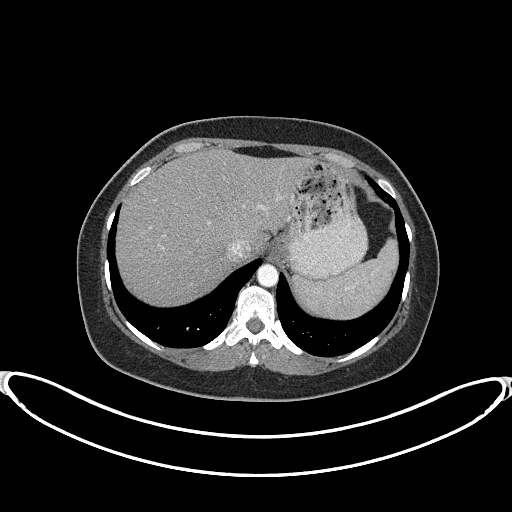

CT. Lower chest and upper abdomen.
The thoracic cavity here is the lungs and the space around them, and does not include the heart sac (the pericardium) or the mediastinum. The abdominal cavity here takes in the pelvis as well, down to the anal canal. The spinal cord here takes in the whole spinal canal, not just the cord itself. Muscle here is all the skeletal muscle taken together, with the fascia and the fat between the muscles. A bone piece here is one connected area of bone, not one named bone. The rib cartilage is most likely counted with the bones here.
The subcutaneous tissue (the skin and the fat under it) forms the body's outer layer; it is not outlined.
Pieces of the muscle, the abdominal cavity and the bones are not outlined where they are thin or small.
The bones appear in 9 outlined pieces: piece 1: 296,354 306,352 297,346 284,332 276,315 274,296 257,285 247,285 241,288 226,327 215,338 202,346 204,349 212,349 223,342 233,345 242,338 246,338 254,347 262,339 266,339 273,347 279,348 284,345, around a hole outlined by 253,333 256,333 257,332 258,332 263,327 263,324 261,322 261,321 258,318 252,318 251,319 250,319 246,323 246,325 247,326 247,327; piece 2: 338,362 341,362 342,361 344,361 345,360 350,359 366,351 378,340 379,338 379,334 375,336 368,342 362,345 357,349 348,353 343,357 339,359 337,359 337,361; piece 3: 159,350 162,349 162,347 161,346 160,346 157,343 154,342 148,337 147,337 144,334 140,332 126,319 125,319 124,321 125,324 140,339 141,339 144,342 150,345 152,347 156,349 158,349; piece 4: 177,152 182,152 183,151 190,151 191,150 193,150 194,149 197,149 200,147 202,147 203,146 204,146 206,144 207,144 205,144 202,142 187,142 186,143 180,143 179,144 176,145 174,147 174,150; piece 5: 348,167 353,167 355,164 355,163 351,159 349,158 347,158 346,157 344,157 341,155 339,155 338,154 334,154 333,153 326,153 325,154 325,155 327,157 329,157 331,159 333,159 341,163 343,165 345,165; piece 6: 129,185 133,185 134,184 137,183 140,180 141,180 146,175 147,175 149,173 149,172 153,168 153,167 152,167 151,166 146,166 145,167 140,169 135,174 135,175 133,177 133,178 130,181 130,182 129,183; piece 7: 395,199 395,198 396,197 395,196 395,193 394,192 394,190 393,189 391,184 387,180 386,180 383,178 378,178 377,179 376,179 375,180 375,181 379,185 379,186 387,193 388,193 393,198 394,198; piece 8: 400,303 405,299 405,297 407,294 407,290 409,286 409,279 410,278 410,274 408,270 407,270 406,272 406,274 405,275 405,279 404,280 404,283 403,284 403,289 402,290 402,293 401,294 401,299 400,300; piece 9: 112,293 112,289 111,288 111,283 110,282 110,278 109,277 109,268 108,267 108,261 107,260 107,259 106,259 105,260 105,262 104,263 104,274 105,275 105,279 106,280 106,283 107,284 108,289. The abdominal cavity is outlined by 330,320 354,319 371,310 386,295 397,271 395,214 369,184 367,174 267,146 203,149 162,162 132,186 120,203 116,262 124,286 138,300 155,307 187,304 211,292 234,270 268,253 278,262 298,306 313,317. The torso is outlined by 229,401 295,401 360,387 399,371 412,359 421,343 439,283 435,233 400,168 379,146 355,131 318,120 263,115 219,116 178,124 142,145 108,180 86,213 77,240 76,280 86,333 98,356 114,369 150,384. The thoracic cavity appears in 2 outlined pieces: piece 1: 171,347 201,346 215,337 229,321 238,291 261,263 261,259 258,258 234,271 211,293 192,303 176,308 148,306 129,294 117,271 114,256 114,236 119,205 107,243 107,258 114,297 122,313 134,326 154,341; piece 2: 321,356 347,353 368,341 388,323 399,303 408,264 409,243 404,221 395,200 369,177 367,179 377,193 394,209 400,244 398,271 384,299 371,311 354,320 316,319 297,306 280,273 276,310 282,326 297,345. The muscle is outlined by 286,375 317,375 352,364 358,360 366,357 381,347 389,339 396,334 405,324 408,318 408,314 410,308 410,301 412,297 412,290 414,286 414,277 415,276 415,270 416,269 416,265 415,264 416,261 416,244 415,243 415,227 413,221 402,200 401,195 394,187 389,179 379,171 351,154 349,154 342,150 331,147 316,146 315,145 309,145 308,144 296,144 295,143 273,143 272,142 266,142 265,141 259,141 258,140 234,139 233,138 218,138 217,137 189,137 173,142 154,156 151,157 148,160 141,164 131,174 118,192 107,211 101,231 101,240 100,241 100,249 99,250 99,259 100,260 99,275 100,276 100,282 101,283 102,297 103,298 105,309 110,319 122,332 134,342 151,353 153,353 180,366 198,371 204,371 205,370 208,371 222,371 223,370 230,370 235,368 240,368 243,366 250,366 251,367 259,366 264,369 268,369; inner edges: 338,362 371,347 407,294 411,231 387,180 373,180 354,169 351,159 338,154 325,154 335,163 267,146 198,150 207,144 202,142 180,143 174,150 187,153 154,168 146,166 135,174 129,183 132,187 107,219 104,274 126,318 125,324 140,339 159,350 160,344 212,349 223,342 233,345 242,338 254,347 266,339 273,347 284,345 296,354 346,353, then 253,366 254,365 256,365 258,363 258,360 257,359 257,358 255,356 255,353 254,352 254,351 252,351 251,352 251,355 250,356 250,357 249,358 249,361 248,362 248,363 249,364 249,365 252,365. The spinal cord is outlined by 253,333 256,333 257,332 258,332 263,327 263,324 261,322 261,321 258,318 252,318 251,319 250,319 246,323 246,325 247,326 247,327. The mediastinum is outlined by 275,297 275,291 276,290 276,286 277,285 280,270 277,262 275,261 275,259 272,256 266,254 264,256 261,257 262,259 262,263 254,272 250,279 244,286 247,284 257,284 270,291 275,296.